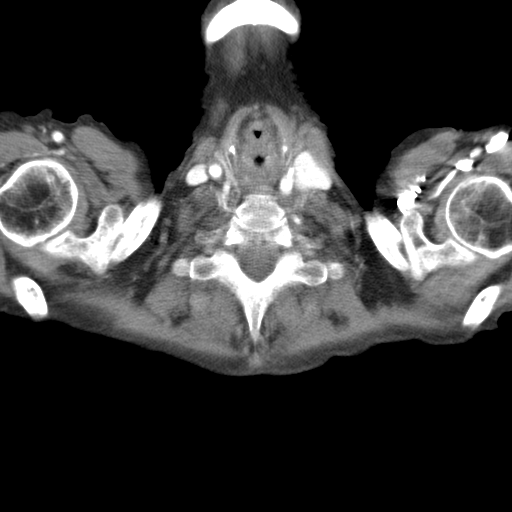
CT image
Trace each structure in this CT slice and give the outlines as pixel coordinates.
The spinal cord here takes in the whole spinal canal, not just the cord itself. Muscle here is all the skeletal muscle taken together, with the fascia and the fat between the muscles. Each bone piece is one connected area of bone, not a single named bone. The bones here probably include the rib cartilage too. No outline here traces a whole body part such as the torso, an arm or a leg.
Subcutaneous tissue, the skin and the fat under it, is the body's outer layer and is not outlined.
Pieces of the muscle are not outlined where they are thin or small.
{"bones":[[[38,157],[57,160],[75,182],[77,205],[66,227],[79,237],[94,231],[108,204],[117,205],[125,218],[140,201],[161,200],[157,220],[139,247],[122,261],[111,260],[97,274],[77,259],[54,257],[37,245],[21,246],[0,232],[0,186],[20,164]],{"outer":[[254,192],[270,193],[285,210],[296,237],[293,249],[304,256],[338,261],[345,268],[339,279],[329,277],[315,286],[298,283],[281,292],[265,312],[256,341],[249,333],[240,303],[216,279],[191,279],[171,270],[177,258],[209,256],[221,248],[234,207]],"hole":[[244,256],[255,256],[256,257],[258,257],[259,256],[263,256],[267,258],[270,258],[273,260],[273,268],[271,272],[270,272],[269,274],[268,274],[263,279],[259,281],[256,281],[252,278],[249,277],[242,270],[241,268],[241,263],[240,262],[240,260]]},[[474,174],[497,176],[511,187],[511,252],[494,259],[480,255],[466,265],[444,265],[421,280],[415,280],[409,270],[393,267],[369,236],[365,215],[378,212],[398,229],[404,214],[419,213],[424,234],[441,243],[450,235],[444,217],[447,199],[457,184]],[[233,0],[274,0],[276,2],[283,5],[297,18],[299,22],[299,31],[297,35],[295,36],[288,35],[281,30],[269,25],[245,24],[235,27],[219,40],[211,44],[207,44],[204,40],[204,29],[206,24],[218,10],[230,3]],[[20,275],[25,275],[32,278],[35,280],[41,287],[44,296],[46,299],[46,302],[48,307],[48,313],[45,317],[43,318],[40,318],[39,317],[31,317],[17,301],[15,297],[15,293],[13,290],[12,283],[11,282],[12,279],[14,277]],[[491,284],[501,284],[502,286],[502,290],[494,303],[493,309],[491,311],[489,315],[478,326],[477,326],[475,328],[472,328],[468,326],[463,326],[462,325],[462,319],[471,301],[476,295],[476,294],[480,290],[486,287],[488,285],[490,285]]],"central_area_in_front_of_the_spine":[[[257,107],[269,110],[281,125],[293,159],[304,150],[311,154],[330,178],[331,184],[327,189],[299,190],[295,187],[286,198],[274,197],[265,191],[232,198],[209,174],[203,182],[187,183],[186,175],[193,166],[206,166],[226,154],[232,130],[239,119]]],"muscle":[{"outer":[[218,95],[233,105],[253,98],[300,107],[323,131],[334,173],[364,210],[386,184],[394,158],[436,132],[509,131],[511,186],[485,173],[457,183],[444,206],[443,241],[425,234],[419,212],[404,213],[398,228],[378,211],[363,218],[381,256],[415,281],[444,266],[511,253],[511,305],[490,315],[503,290],[491,283],[463,314],[463,327],[481,324],[467,336],[410,335],[263,373],[236,373],[76,320],[34,321],[49,313],[35,279],[11,279],[19,305],[0,296],[0,233],[101,275],[140,247],[163,202],[140,200],[125,217],[108,203],[93,231],[79,236],[67,227],[79,189],[54,157],[20,163],[0,185],[0,131],[39,121],[92,125],[133,151],[159,190],[191,158]],"hole":[[257,107],[281,125],[292,158],[307,150],[331,181],[276,198],[296,237],[292,248],[338,261],[345,273],[281,292],[254,341],[232,293],[216,279],[177,275],[171,264],[223,246],[244,196],[230,197],[209,174],[194,185],[186,175],[223,157],[239,119]]},[[245,25],[252,26],[261,25],[273,27],[282,32],[282,36],[279,39],[277,51],[271,60],[261,53],[256,58],[255,61],[251,61],[244,68],[245,69],[244,74],[239,75],[233,79],[227,75],[227,72],[222,64],[220,47],[217,42],[235,28]],[[218,0],[232,0],[230,2],[227,3],[225,5],[222,6],[219,9],[218,9],[211,16],[211,17],[208,20],[208,21],[206,23],[206,18],[207,17],[207,15],[208,14],[208,13],[212,9],[212,8],[216,4],[216,3],[218,1]]],"spinal_cord":[[[244,256],[255,256],[256,257],[258,257],[259,256],[263,256],[267,258],[270,258],[273,260],[273,268],[271,272],[270,272],[269,274],[268,274],[263,279],[259,281],[256,281],[252,278],[249,277],[242,270],[241,268],[241,263],[240,262],[240,260]]]}